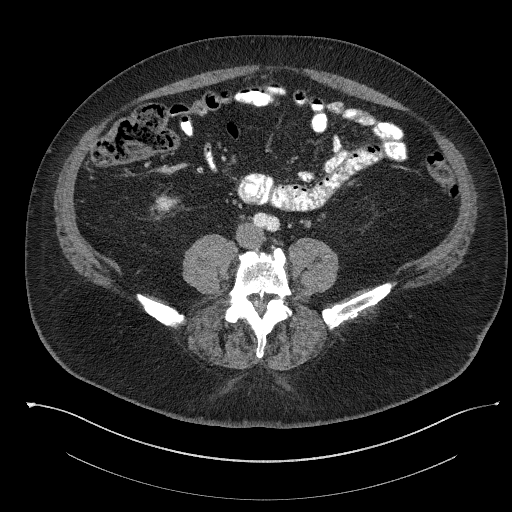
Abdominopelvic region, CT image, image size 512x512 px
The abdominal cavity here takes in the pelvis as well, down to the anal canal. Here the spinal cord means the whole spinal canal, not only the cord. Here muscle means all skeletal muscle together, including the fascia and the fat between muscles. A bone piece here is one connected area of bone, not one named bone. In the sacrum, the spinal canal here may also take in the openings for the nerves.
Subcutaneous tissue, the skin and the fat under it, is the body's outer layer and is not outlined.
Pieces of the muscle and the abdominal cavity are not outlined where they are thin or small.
The spinal cord is outlined by [[261,314],[264,311],[265,309],[265,305],[267,301],[272,296],[272,295],[265,294],[264,297],[262,299],[261,299],[257,294],[252,294],[248,297],[249,299],[253,303],[257,311],[258,311],[259,313]]. The bones appear in 3 outlined pieces: piece 1: [[258,358],[264,354],[266,335],[278,322],[292,314],[286,300],[292,295],[285,267],[286,255],[279,247],[273,247],[269,253],[251,250],[239,254],[233,285],[227,294],[230,301],[224,319],[231,323],[240,318],[246,321],[257,338],[255,354]] with a hole at [[261,314],[264,311],[265,309],[265,305],[267,301],[272,296],[272,295],[265,294],[264,297],[262,299],[261,299],[257,294],[252,294],[248,297],[249,299],[253,303],[257,311],[258,311],[259,313]]; piece 2: [[330,330],[338,326],[345,320],[356,317],[358,315],[358,313],[365,308],[372,305],[375,305],[390,292],[392,288],[397,283],[396,281],[386,281],[381,284],[376,285],[371,289],[366,290],[348,300],[335,302],[330,307],[323,308],[321,310],[321,315]]; piece 3: [[172,327],[176,327],[180,324],[184,324],[185,323],[185,316],[183,313],[179,312],[175,307],[165,304],[160,300],[152,296],[147,296],[140,292],[137,292],[135,294],[136,299],[141,304],[144,311],[147,314],[153,317],[162,324],[166,326],[171,326]]. The muscle is outlined by [[283,377],[289,377],[292,375],[295,375],[319,361],[328,346],[338,338],[349,323],[364,316],[370,315],[376,311],[384,299],[400,291],[416,288],[438,281],[447,275],[451,274],[462,263],[463,257],[468,250],[471,237],[474,233],[476,219],[478,216],[477,204],[478,194],[472,175],[468,168],[464,156],[447,136],[417,112],[412,110],[401,102],[355,80],[327,71],[317,70],[308,67],[296,67],[290,65],[260,66],[254,64],[246,64],[233,67],[214,69],[174,81],[133,98],[117,109],[113,110],[99,122],[88,128],[80,136],[77,143],[72,148],[62,164],[61,169],[58,173],[53,195],[53,223],[58,243],[63,255],[74,270],[83,278],[96,285],[109,289],[126,298],[129,301],[134,303],[142,311],[143,310],[140,304],[134,297],[134,294],[137,291],[140,291],[144,294],[152,295],[165,303],[173,305],[179,311],[183,312],[186,316],[186,323],[184,325],[180,325],[176,328],[166,327],[190,355],[212,372],[220,375],[236,375],[245,369],[251,367],[254,364],[259,364]] with a hole at [[258,358],[292,314],[296,239],[338,256],[318,298],[375,286],[323,308],[331,330],[383,299],[460,204],[427,126],[287,70],[131,106],[98,135],[74,186],[86,240],[172,302],[202,296],[182,278],[183,252],[206,233],[231,240],[224,319],[246,321]]. The torso is outlined by [[279,429],[325,425],[384,411],[437,389],[469,365],[504,295],[508,262],[504,194],[494,161],[469,119],[431,82],[398,61],[323,36],[204,38],[165,49],[122,70],[84,99],[57,131],[40,161],[28,201],[27,300],[40,340],[76,378],[181,421]]. The abdominal cavity is outlined by [[172,302],[202,296],[183,280],[181,261],[206,233],[239,253],[279,246],[287,255],[300,237],[324,241],[340,265],[334,285],[315,296],[326,301],[381,283],[453,226],[455,171],[411,115],[292,71],[261,70],[135,104],[82,160],[76,221],[135,286]].